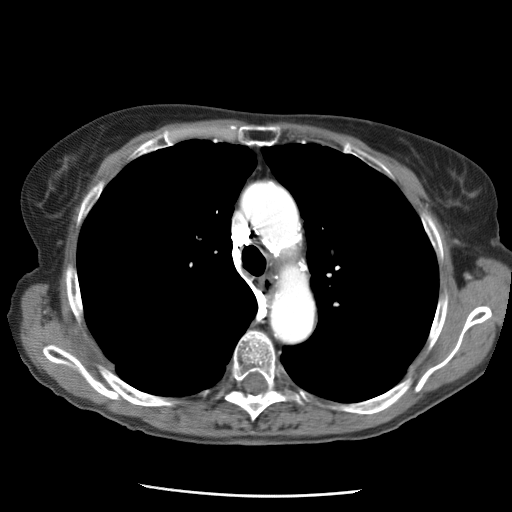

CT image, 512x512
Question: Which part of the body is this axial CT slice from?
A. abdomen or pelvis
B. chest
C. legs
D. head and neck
Answer: B. chest
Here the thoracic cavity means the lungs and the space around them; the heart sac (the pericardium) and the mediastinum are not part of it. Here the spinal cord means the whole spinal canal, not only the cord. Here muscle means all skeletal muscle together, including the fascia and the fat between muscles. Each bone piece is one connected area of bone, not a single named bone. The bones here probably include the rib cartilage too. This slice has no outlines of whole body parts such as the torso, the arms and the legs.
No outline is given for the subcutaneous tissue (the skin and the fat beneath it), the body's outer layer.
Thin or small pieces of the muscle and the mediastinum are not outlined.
Outlines:
mediastinum: (252, 146) (261, 147) (265, 162) (279, 183) (292, 196) (303, 219) (310, 287) (317, 308) (317, 323) (312, 333) (301, 343) (285, 345) (278, 360) (268, 335) (259, 329) (248, 329) (257, 314) (257, 300) (232, 256) (230, 229) (234, 204) (257, 164) (256, 155) (249, 147)
thoracic cavity 1: (192, 138) (238, 143) (247, 146) (255, 155) (255, 167) (233, 204) (229, 237) (234, 265) (256, 300) (256, 314) (237, 341) (219, 383) (194, 394) (175, 397) (142, 391) (116, 373) (114, 364) (103, 353) (85, 321) (76, 253) (82, 224) (105, 186) (124, 166) (143, 155)
thoracic cavity 2: (301, 140) (353, 155) (393, 181) (419, 216) (438, 265) (438, 298) (425, 343) (399, 382) (378, 395) (360, 401) (341, 402) (316, 396) (297, 385) (279, 361) (285, 346) (301, 344) (313, 333) (318, 323) (318, 308) (311, 287) (304, 219) (293, 196) (272, 172) (261, 148)
spinal cord: (254, 372) (257, 372) (259, 374) (260, 374) (264, 378) (266, 382) (266, 388) (265, 390) (261, 392) (259, 392) (256, 394) (253, 394) (250, 392) (247, 392) (244, 389) (243, 387) (243, 385) (242, 384) (242, 382) (243, 380) (250, 373) (253, 373)
muscle: (225, 118) (254, 124) (164, 129) (136, 147) (107, 183) (101, 178) (85, 193) (75, 221) (79, 230) (75, 265) (66, 266) (65, 290) (76, 321) (85, 322) (115, 373) (102, 363) (96, 364) (109, 388) (77, 357) (53, 343) (42, 348) (49, 361) (76, 368) (97, 393) (111, 400) (173, 407) (182, 402) (178, 398) (211, 395) (214, 400) (240, 407) (252, 422) (274, 403) (293, 402) (302, 407) (316, 397) (328, 400) (318, 405) (334, 411) (374, 414) (391, 406) (410, 388) (413, 376) (403, 378) (424, 345) (426, 354) (432, 349) (448, 311) (448, 292) (444, 289) (439, 293) (439, 266) (444, 260) (440, 233) (426, 210) (418, 214) (395, 176) (378, 158) (348, 140) (340, 143) (340, 149) (305, 139) (279, 141) (282, 127) (265, 124) (278, 121) (351, 135) (409, 168) (446, 233) (459, 287) (480, 256) (497, 259) (511, 269) (505, 313) (492, 354) (384, 423) (353, 432) (296, 437) (208, 437) (161, 430) (137, 417) (110, 412) (75, 396) (42, 373) (20, 339) (20, 298) (31, 284) (47, 283) (50, 304) (59, 309) (58, 287) (68, 226) (75, 205) (103, 159) (133, 137) (166, 124), around a hole outlined by (483, 305) (488, 306) (490, 308) (491, 310) (491, 316) (480, 323) (476, 323) (472, 325) (464, 333) (459, 348) (449, 361) (443, 366) (436, 369) (427, 378) (421, 389) (418, 392) (415, 392) (414, 387) (421, 376) (429, 368) (441, 362) (454, 348) (469, 313) (474, 308)
bones 1: (247, 330) (259, 330) (267, 335) (277, 360) (290, 379) (315, 396) (311, 401) (305, 402) (302, 406) (293, 401) (274, 402) (252, 421) (240, 406) (222, 398) (214, 399) (211, 394) (206, 397) (198, 394) (206, 389) (211, 389) (213, 393) (216, 390) (230, 366) (238, 341) with a hole at (254, 372) (257, 372) (259, 374) (260, 374) (264, 378) (266, 382) (266, 388) (265, 390) (261, 392) (259, 392) (256, 394) (253, 394) (250, 392) (247, 392) (244, 389) (243, 387) (243, 385) (242, 384) (242, 382) (243, 380) (250, 373) (253, 373)
bones 2: (230, 124) (237, 126) (280, 126) (281, 134) (278, 142) (275, 144) (263, 146) (248, 146) (238, 142) (218, 140) (211, 137) (192, 137) (180, 140) (173, 145) (159, 148) (154, 151) (143, 154) (130, 161) (128, 160) (129, 156) (136, 148) (164, 130) (188, 126) (226, 126)
bones 3: (50, 344) (57, 346) (77, 358) (96, 380) (109, 389) (110, 386) (98, 370) (97, 364) (99, 363) (123, 381) (142, 392) (157, 396) (174, 397) (181, 402) (173, 406) (144, 406) (131, 403) (122, 397) (111, 399) (97, 392) (76, 367) (49, 360) (44, 355) (43, 348)
bones 4: (409, 375) (411, 375) (413, 379) (413, 381) (409, 388) (395, 402) (378, 412) (367, 414) (359, 414) (341, 410) (334, 410) (326, 406) (322, 406) (317, 403) (321, 403) (323, 405) (326, 405) (329, 403) (329, 401) (340, 402) (341, 403) (353, 403) (364, 401) (386, 392)
bones 5: (483, 305) (488, 306) (490, 308) (491, 310) (491, 316) (480, 323) (476, 323) (472, 325) (464, 333) (459, 348) (449, 361) (443, 366) (436, 369) (427, 378) (421, 389) (418, 392) (415, 392) (414, 387) (421, 376) (429, 368) (441, 362) (454, 348) (469, 313) (474, 308)
bones 6: (69, 264) (74, 264) (76, 268) (77, 279) (78, 280) (78, 285) (79, 286) (79, 292) (80, 293) (81, 302) (83, 307) (83, 317) (84, 318) (84, 321) (82, 323) (79, 323) (77, 321) (68, 301) (67, 291) (66, 290) (66, 282) (65, 281) (65, 272) (67, 266)
bones 7: (444, 290) (446, 290) (448, 295) (448, 303) (447, 304) (447, 311) (445, 316) (445, 320) (436, 341) (434, 343) (431, 349) (427, 353) (426, 353) (426, 346) (425, 344) (434, 319) (434, 316) (435, 315) (435, 312) (437, 307) (437, 303) (439, 298) (439, 294)
bones 8: (344, 141) (348, 141) (353, 145) (358, 147) (360, 149) (363, 150) (365, 152) (368, 153) (370, 155) (378, 159) (389, 169) (391, 173) (394, 176) (395, 178) (395, 181) (392, 180) (382, 172) (370, 166) (355, 155) (351, 154) (350, 153) (344, 153) (341, 150) (341, 143)
bones 9: (101, 179) (103, 179) (106, 182) (106, 183) (99, 197) (87, 214) (86, 217) (81, 224) (80, 228) (78, 230) (76, 227) (76, 221) (77, 220) (78, 213) (80, 209) (80, 205) (81, 204) (81, 202) (84, 196) (90, 189) (90, 188) (92, 186) (93, 186) (99, 180)
bones 10: (421, 211) (426, 211) (427, 212) (431, 217) (439, 233) (441, 239) (442, 247) (443, 248) (443, 260) (442, 263) (440, 265) (438, 264) (438, 261) (436, 257) (435, 251) (430, 242) (430, 240) (424, 229) (423, 224) (421, 221) (419, 215) (419, 213)